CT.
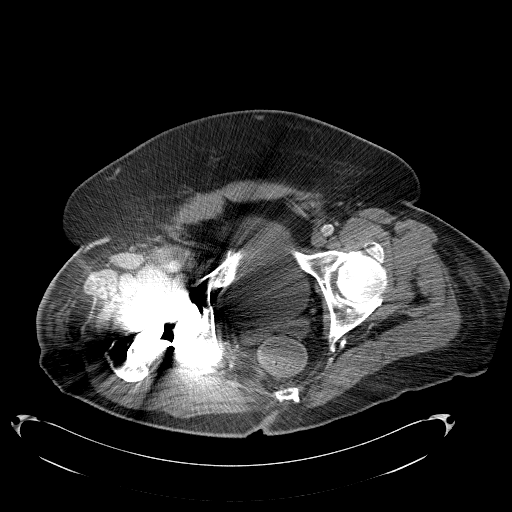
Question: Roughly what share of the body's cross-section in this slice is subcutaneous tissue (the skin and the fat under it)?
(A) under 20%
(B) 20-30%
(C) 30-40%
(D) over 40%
Answer: (D) over 40%
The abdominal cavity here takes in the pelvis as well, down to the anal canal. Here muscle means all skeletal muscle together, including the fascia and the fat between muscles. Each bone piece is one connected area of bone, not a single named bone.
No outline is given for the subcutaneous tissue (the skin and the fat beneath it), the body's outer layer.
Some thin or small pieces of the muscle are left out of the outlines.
The bones appear in 3 outlined pieces: piece 1: 231,248 243,248 247,254 240,261 235,278 214,302 215,336 222,353 216,367 194,372 183,368 169,351 165,351 153,361 148,374 139,381 126,381 116,375 105,359 106,346 111,338 151,322 170,297 214,269; piece 2: 368,241 375,241 383,248 382,265 388,280 382,294 383,300 360,324 342,335 335,344 336,349 331,352 327,339 330,325 327,304 316,279 301,269 289,250 292,248 306,254 324,250 348,252 361,249 362,245; piece 3: 287,387 299,387 299,401 298,402 295,402 294,401 293,401 291,399 285,399 284,400 283,400 282,401 279,401 276,398 276,397 274,395 274,391 275,391 276,390 279,390 280,389 282,389 283,388 286,388. The abdominal cavity is outlined by 284,198 294,201 311,220 307,242 290,245 288,251 311,281 319,297 322,315 317,356 303,373 281,382 247,362 225,335 221,323 225,294 248,252 243,247 199,242 186,233 186,228 217,216 227,201 244,203. The muscle is outlined by 240,180 266,181 291,185 321,193 340,206 391,209 427,224 438,237 437,249 453,284 461,315 460,327 454,338 441,348 394,360 362,378 352,387 325,404 307,408 291,406 255,412 201,414 182,418 162,411 126,407 102,395 88,378 79,345 81,326 89,309 89,296 83,287 85,278 110,254 132,246 152,235 188,199 195,195 215,190 230,182 with holes at 284,198 311,220 290,249 382,246 381,304 331,352 327,304 306,272 321,343 281,382 225,335 226,287 213,308 216,367 194,372 165,351 139,381 116,375 111,338 151,322 239,249 192,239 187,226 227,201 and at 287,387 299,387 299,401 298,402 295,402 294,401 293,401 291,399 285,399 284,400 283,400 282,401 279,401 276,398 276,397 274,395 274,391 275,391 276,390 279,390 280,389 282,389 283,388 286,388. The torso is outlined by 243,109 308,115 395,153 419,179 422,194 415,205 495,258 509,287 483,373 408,391 315,428 271,436 258,430 244,438 140,424 61,392 39,365 36,314 50,282 77,249 62,230 69,195 96,171 168,128.